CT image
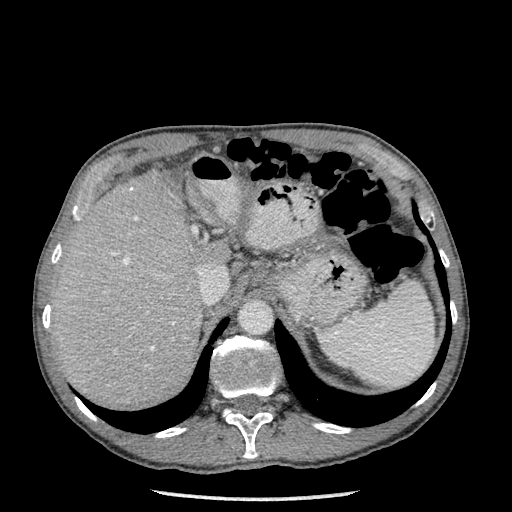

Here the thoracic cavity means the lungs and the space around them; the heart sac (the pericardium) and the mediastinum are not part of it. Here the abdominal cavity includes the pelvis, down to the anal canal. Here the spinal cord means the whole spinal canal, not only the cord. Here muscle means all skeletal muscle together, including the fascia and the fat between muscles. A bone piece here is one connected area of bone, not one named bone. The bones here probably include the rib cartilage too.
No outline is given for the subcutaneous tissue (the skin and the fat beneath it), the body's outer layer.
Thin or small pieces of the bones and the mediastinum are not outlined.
Outlines (x, y in pixels):
abdominal cavity: 246 135; 350 153; 415 198; 413 217; 433 251; 445 308; 435 358; 416 381; 395 391; 358 395; 330 387; 310 371; 274 303; 248 294; 217 324; 176 396; 136 411; 96 405; 68 383; 50 330; 60 266; 77 222; 98 189; 118 173
mediastinum: 248 295; 263 296; 273 303; 282 321; 282 323; 278 318; 274 322; 274 337; 276 348; 269 341; 265 339; 254 338; 244 334; 232 335; 218 343; 215 346; 213 346; 213 343; 223 332; 229 323; 229 318; 226 317; 238 304; 241 299
bones 1: 235 335; 244 335; 269 342; 278 352; 283 371; 279 384; 267 400; 273 407; 274 417; 258 429; 254 441; 258 455; 253 459; 242 456; 245 450; 244 437; 235 425; 227 423; 222 417; 221 412; 226 403; 209 380; 209 365; 214 347, around a hole outlined by 246 394; 254 394; 257 396; 263 397; 264 398; 264 402; 262 406; 262 408; 263 409; 260 411; 256 412; 254 414; 250 416; 245 415; 243 413; 241 413; 240 412; 235 412; 230 402; 230 400; 233 398; 236 398; 239 396; 245 395
bones 2: 116 154; 119 154; 120 158; 107 172; 102 175; 101 179; 93 186; 91 192; 85 200; 85 205; 83 206; 84 213; 82 217; 78 221; 75 221; 72 216; 72 207; 76 201; 78 192; 82 187; 82 184; 86 175; 95 164; 109 156
bones 3: 360 143; 365 143; 370 146; 373 146; 380 150; 382 150; 388 153; 394 157; 399 162; 400 162; 407 168; 411 175; 411 177; 407 180; 402 180; 398 177; 395 176; 390 172; 387 167; 377 161; 370 155; 360 150; 357 147; 358 144
bones 4: 420 198; 424 198; 426 200; 427 203; 431 207; 431 208; 434 213; 434 215; 435 216; 435 228; 432 231; 430 231; 428 229; 428 228; 422 221; 422 220; 419 215; 419 211; 418 210; 418 206; 417 205; 417 200
bones 5: 313 421; 325 421; 326 422; 330 422; 331 423; 333 423; 337 425; 340 425; 341 426; 353 427; 353 430; 349 433; 344 433; 343 434; 337 434; 336 433; 330 433; 329 432; 325 432; 324 431; 319 430; 313 427; 311 425; 311 422
bones 6: 175 425; 179 425; 180 426; 185 426; 187 427; 187 430; 184 432; 177 435; 174 435; 169 437; 165 437; 164 438; 155 438; 153 436; 153 433; 160 431; 161 430; 163 430; 164 429; 166 429; 167 428; 169 428; 170 427; 172 427
bones 7: 74 394; 75 394; 82 401; 82 402; 95 415; 96 415; 99 418; 98 421; 97 421; 96 422; 93 421; 91 419; 90 419; 87 416; 86 416; 78 408; 78 407; 77 406; 77 405; 74 400; 74 398; 73 397; 73 395
bones 8: 436 379; 437 380; 437 384; 436 385; 436 387; 433 393; 426 400; 425 400; 418 406; 416 407; 414 407; 413 408; 410 408; 410 407; 423 395; 423 394; 427 390; 429 386; 434 381; 434 380
torso: 302 121; 350 125; 371 131; 409 157; 431 184; 460 256; 470 315; 464 362; 449 396; 409 437; 327 467; 295 469; 270 465; 194 474; 133 463; 105 449; 56 403; 41 375; 32 337; 31 303; 36 264; 76 172; 103 145; 145 128
spinal cord: 246 394; 254 394; 257 396; 263 397; 264 398; 264 402; 262 406; 262 408; 263 409; 260 411; 256 412; 254 414; 250 416; 245 415; 243 413; 241 413; 240 412; 235 412; 230 402; 230 400; 233 398; 236 398; 239 396; 245 395
thoracic cavity 1: 414 203; 446 275; 451 333; 444 361; 422 395; 396 416; 358 427; 326 421; 307 410; 288 386; 277 349; 275 322; 278 319; 294 340; 309 371; 330 388; 358 396; 379 396; 416 382; 440 350; 446 330; 446 308; 435 254; 415 220
thoracic cavity 2: 224 318; 228 318; 228 323; 212 343; 213 348; 209 359; 208 383; 205 395; 197 409; 177 424; 149 433; 128 431; 99 417; 73 391; 96 406; 119 412; 136 412; 167 402; 181 393; 188 385; 205 346; 210 341; 212 333; 218 324
muscle: 290 128; 366 136; 404 161; 422 179; 442 220; 461 284; 464 331; 450 381; 419 418; 372 445; 314 461; 254 459; 259 455; 255 444; 257 433; 275 417; 274 407; 268 400; 283 377; 301 405; 323 420; 313 420; 310 425; 337 435; 388 421; 408 408; 418 407; 434 393; 438 384; 436 378; 448 352; 452 326; 458 321; 457 306; 450 298; 447 282; 450 259; 442 247; 437 248; 431 234; 436 228; 435 213; 424 197; 416 199; 373 162; 350 152; 250 134; 231 136; 120 171; 97 189; 84 209; 94 186; 121 158; 116 153; 95 163; 82 181; 71 207; 76 223; 59 266; 51 304; 47 302; 41 311; 42 325; 50 331; 59 366; 74 393; 73 400; 95 423; 100 418; 128 432; 152 433; 155 439; 164 439; 188 430; 187 426; 178 424; 201 405; 209 381; 225 403; 221 417; 243 437; 241 456; 251 460; 214 466; 158 462; 121 448; 92 430; 63 402; 46 370; 38 339; 40 269; 78 178; 95 159; 114 146; 142 136; 163 132 with holes at 360 143; 365 143; 370 146; 373 146; 380 150; 382 150; 388 153; 394 157; 399 162; 400 162; 407 168; 411 175; 411 177; 407 180; 402 180; 398 177; 395 176; 390 172; 387 167; 377 161; 370 155; 360 150; 357 147; 358 144 and at 58 242; 60 242; 62 245; 62 251; 61 252; 61 255; 60 256; 60 257; 59 258; 58 261; 56 263; 55 263; 54 264; 51 262; 51 255; 52 254; 52 252; 53 251; 53 250; 54 249; 54 248; 55 247; 56 244